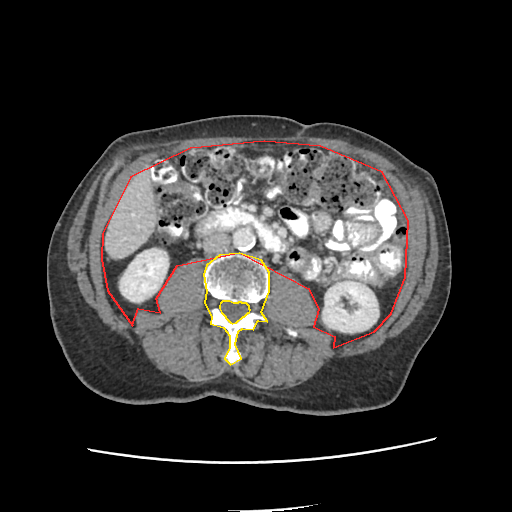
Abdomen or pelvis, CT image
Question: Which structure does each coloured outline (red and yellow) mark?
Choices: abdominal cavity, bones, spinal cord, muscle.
Answer: red: abdominal cavity; yellow: bones.
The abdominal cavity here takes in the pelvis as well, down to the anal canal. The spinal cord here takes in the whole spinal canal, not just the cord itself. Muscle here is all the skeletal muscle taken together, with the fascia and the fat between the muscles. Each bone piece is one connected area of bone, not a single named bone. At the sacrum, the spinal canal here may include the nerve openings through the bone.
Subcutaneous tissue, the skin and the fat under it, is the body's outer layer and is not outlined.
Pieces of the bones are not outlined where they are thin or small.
Outlines (x, y in pixels):
abdominal cavity: (333, 347) (374, 331) (391, 313) (405, 277) (408, 220) (382, 172) (320, 146) (264, 141) (190, 148) (130, 177) (102, 233) (101, 259) (107, 290) (132, 325) (138, 308) (160, 312) (156, 298) (177, 265) (239, 252) (308, 288) (318, 309) (313, 326) (334, 336)
bones: (230, 364) (241, 358) (235, 344) (238, 331) (242, 328) (253, 329) (258, 320) (267, 321) (261, 312) (269, 291) (269, 272) (261, 260) (239, 253) (219, 255) (206, 265) (203, 274) (206, 291) (204, 302) (211, 317) (210, 323) (223, 327) (229, 335) (229, 347) (224, 358); inner edge: (232, 323) (236, 322) (243, 316) (244, 316) (248, 312) (249, 312) (250, 310) (249, 309) (249, 306) (246, 303) (242, 303) (241, 302) (238, 302) (237, 303) (233, 303) (229, 301) (222, 301) (220, 303) (219, 305) (219, 308) (221, 312) (225, 316) (225, 317) (230, 322)
torso: (307, 415) (366, 411) (393, 402) (439, 323) (450, 293) (452, 265) (447, 221) (433, 176) (388, 143) (359, 129) (329, 121) (305, 124) (279, 115) (212, 116) (132, 131) (113, 140) (73, 191) (47, 249) (49, 315) (73, 373) (96, 394) (122, 403) (182, 403) (212, 395)
muscle: (265, 390) (284, 390) (294, 387) (310, 379) (328, 360) (332, 358) (347, 357) (374, 350) (395, 338) (414, 320) (430, 295) (439, 258) (436, 221) (429, 198) (402, 169) (378, 152) (354, 146) (343, 141) (329, 140) (315, 136) (214, 136) (139, 142) (122, 148) (95, 176) (74, 217) (68, 233) (66, 254) (67, 265) (82, 297) (93, 308) (103, 323) (129, 345) (139, 351) (156, 368) (171, 378) (183, 382) (206, 382) (220, 376) (230, 366) (242, 380) with holes at (230, 364) (241, 358) (238, 331) (267, 321) (275, 269) (308, 288) (313, 326) (333, 347) (388, 317) (410, 233) (382, 172) (320, 146) (264, 141) (190, 148) (130, 177) (101, 240) (113, 302) (133, 325) (138, 308) (160, 312) (177, 265) (205, 258) (204, 302) (229, 335) and at (293, 337) (296, 337) (297, 336) (297, 332) (295, 330) (294, 330) (292, 328) (291, 328) (290, 327) (286, 327) (285, 328) (285, 331) (289, 335) (290, 335) (291, 336) (292, 336)
spinal cord: (232, 323) (236, 322) (243, 316) (244, 316) (248, 312) (249, 312) (250, 310) (249, 309) (249, 306) (246, 303) (242, 303) (241, 302) (238, 302) (237, 303) (233, 303) (229, 301) (222, 301) (220, 303) (219, 305) (219, 308) (221, 312) (225, 316) (225, 317) (230, 322)